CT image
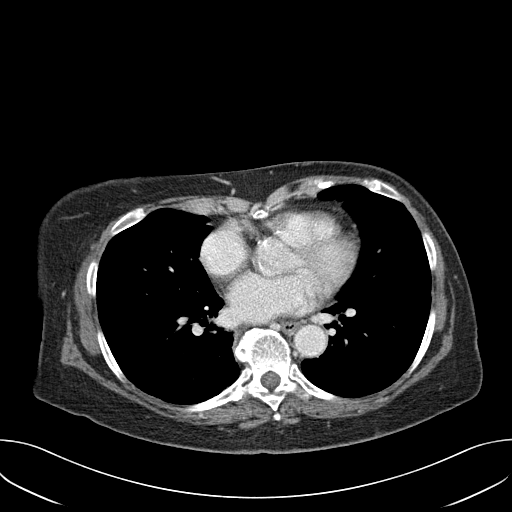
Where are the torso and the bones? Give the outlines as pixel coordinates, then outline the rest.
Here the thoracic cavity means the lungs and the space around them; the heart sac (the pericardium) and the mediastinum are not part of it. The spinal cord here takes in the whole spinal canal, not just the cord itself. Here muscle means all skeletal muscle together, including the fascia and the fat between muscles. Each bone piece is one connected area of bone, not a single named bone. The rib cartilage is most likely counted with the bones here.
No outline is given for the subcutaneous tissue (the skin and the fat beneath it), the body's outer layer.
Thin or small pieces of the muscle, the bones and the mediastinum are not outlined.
torso: 303,160 345,160 381,166 404,177 429,201 455,244 472,291 483,367 481,388 475,397 411,427 359,443 295,453 231,454 132,437 33,395 31,382 42,322 35,297 36,230 58,198 91,182 121,176 221,172
bones 1: 252,328 278,332 295,353 292,359 301,372 312,383 340,396 341,400 315,396 304,400 287,392 277,408 279,420 273,419 274,411 266,403 250,395 201,412 180,409 218,394 238,377 244,364 236,361 233,346; inner edge: 268,371 272,371 273,372 274,372 276,374 277,374 279,377 279,382 278,383 278,384 271,390 270,389 269,389 267,387 264,386 263,385 263,384 261,381 261,378 262,377 262,376 265,373 266,373
bones 2: 314,178 334,180 335,185 319,191 314,196 290,197 262,218 254,218 245,212 232,211 203,215 176,207 177,204 185,205 193,199 204,197 216,201 231,194 251,204 256,202 263,204 266,198 281,186 293,189
bones 3: 431,307 432,307 435,310 435,313 436,314 435,324 434,325 434,330 432,334 432,337 431,338 430,343 427,348 427,350 425,352 425,354 421,359 420,362 416,368 412,372 409,373 407,370 410,366 421,343
bones 4: 363,178 367,178 370,180 374,178 377,178 393,187 400,194 401,196 401,201 399,201 393,198 390,198 387,196 373,192 364,186 362,186 359,184 356,184 352,182 352,181 355,179 362,179
bones 5: 136,207 142,207 144,209 144,210 148,213 148,214 142,220 141,220 139,222 122,230 120,232 117,233 115,235 111,237 110,235 110,230 111,229 111,227 114,224 114,223 126,212
bones 6: 98,328 100,328 101,329 114,358 116,360 119,367 121,369 122,372 126,378 126,379 123,381 120,381 116,377 116,376 107,365 102,355 101,350 99,347 99,344 97,341 97,337 96,336 96,332
bones 7: 421,231 427,231 429,233 430,236 432,238 432,240 435,247 435,251 436,252 436,267 432,272 431,272 430,268 429,267 429,263 428,262 428,259 427,258 427,254 426,253 426,251 423,244 422,237 421,236
bones 8: 93,259 95,259 98,261 98,267 97,268 97,276 96,277 96,282 95,283 95,289 96,290 95,298 92,297 88,293 87,291 87,288 86,287 86,273 87,272 87,268 89,265 89,263 91,261 91,260
pericardium: 306,202 339,202 355,222 360,238 360,248 350,277 336,294 335,301 313,313 301,317 273,319 241,317 233,309 227,307 199,259 201,244 212,229 210,223 226,214 232,216 247,214 254,219 262,219 282,204
muscle 1: 399,192 425,217 438,241 446,268 445,282 450,281 453,289 455,317 448,354 425,377 385,406 348,417 304,415 295,424 277,426 266,422 250,429 225,430 217,425 196,425 161,416 59,360 76,273 90,243 110,221 123,214 110,227 110,238 99,260 91,259 85,273 86,291 95,299 100,325 95,332 96,341 106,365 120,382 127,379 149,395 185,405 179,409 188,413 201,413 250,396 266,404 275,421 281,419 278,408 287,393 304,401 311,397 341,401 342,397 378,392 406,371 410,374 417,368 431,343 437,317 431,306 436,247 427,230 420,232
muscle 2: 197,194 229,195 226,195 224,197 216,200 204,196 189,199 185,204 181,202 177,203 175,205 175,207 177,209 175,208 159,208 149,213 142,206 134,207 144,203 156,202 158,200 169,197 181,195 196,195
muscle 3: 319,174 352,175 353,176 361,176 362,177 365,176 371,176 374,177 370,179 367,177 355,178 351,181 352,183 355,184 350,183 349,184 339,184 338,185 336,185 337,182 334,179 324,179 321,177 314,177 313,178 308,178 303,182 300,183 296,187 290,188 287,185 281,185 291,180 300,177 308,176 309,175 318,175
mediastinum 1: 225,304 238,316 249,320 301,318 323,309 322,312 325,314 324,327 329,332 327,346 318,357 305,358 298,364 293,359 296,353 276,330 252,327 236,341 234,333 230,330 234,319 232,314 224,308
mediastinum 2: 226,212 232,212 233,213 245,213 239,213 235,215 232,215 229,213 226,213 225,215 221,217 218,217 216,219 214,219 213,221 209,223 209,225 206,224 208,220 205,216 206,215 209,215 210,214 223,214
spinal cord: 268,371 272,371 273,372 274,372 276,374 277,374 279,377 279,382 278,383 278,384 271,390 270,389 269,389 267,387 264,386 263,385 263,384 261,381 261,378 262,377 262,376 265,373 266,373
thoracic cavity 1: 159,209 206,218 205,224 211,229 200,244 198,259 223,300 223,308 231,314 229,330 237,341 232,353 235,361 243,364 237,377 221,391 189,404 168,402 131,382 115,358 98,317 96,283 99,261 108,242
thoracic cavity 2: 350,184 405,207 420,233 431,278 430,308 409,366 386,387 355,397 320,387 299,366 326,350 330,332 325,327 323,310 337,302 336,296 351,277 361,248 358,226 343,207 344,200 323,200 317,195 325,189